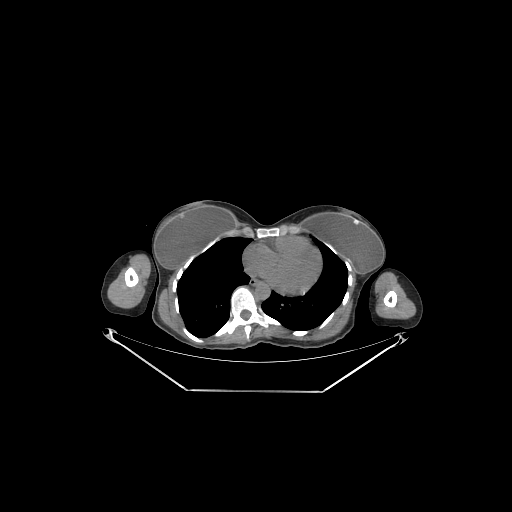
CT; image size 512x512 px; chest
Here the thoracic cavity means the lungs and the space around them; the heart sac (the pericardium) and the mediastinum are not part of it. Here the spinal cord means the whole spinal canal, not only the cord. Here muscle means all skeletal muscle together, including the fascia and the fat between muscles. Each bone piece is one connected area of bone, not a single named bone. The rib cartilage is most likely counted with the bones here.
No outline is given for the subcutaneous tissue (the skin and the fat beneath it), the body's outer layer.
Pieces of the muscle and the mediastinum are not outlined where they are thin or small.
Outlined structures:
mediastinum 1: (250, 276) (254, 280) (261, 280) (262, 282) (267, 284) (267, 285) (269, 286) (270, 288) (275, 290) (275, 291) (273, 290) (270, 293) (269, 296) (266, 299) (265, 299) (261, 302) (260, 305) (257, 303) (253, 292) (246, 285) (245, 285) (246, 285) (250, 281)
mediastinum 2: (302, 232) (304, 232) (305, 233) (309, 233) (310, 234) (313, 235) (313, 236) (312, 236) (311, 237) (311, 239) (314, 243) (314, 244) (312, 242) (312, 241) (309, 237) (308, 237) (305, 235) (300, 235) (299, 234) (296, 234) (298, 234) (299, 233) (301, 233)
torso: (199, 199) (232, 203) (265, 224) (318, 204) (342, 206) (368, 219) (382, 236) (386, 255) (376, 275) (370, 276) (360, 292) (352, 329) (341, 339) (320, 348) (259, 343) (234, 350) (197, 349) (159, 329) (151, 318) (155, 297) (155, 273) (149, 253) (152, 234) (166, 210)
breast implant 1: (200, 205) (211, 205) (218, 208) (223, 208) (231, 212) (237, 218) (235, 220) (235, 226) (231, 226) (209, 239) (201, 247) (196, 249) (179, 267) (175, 268) (174, 270) (170, 270) (163, 266) (156, 259) (156, 256) (154, 252) (155, 238) (160, 230) (176, 214) (188, 208)
breast implant 2: (333, 211) (352, 217) (356, 221) (360, 222) (371, 230) (378, 238) (382, 246) (383, 253) (382, 261) (372, 270) (364, 274) (356, 273) (354, 264) (340, 252) (334, 245) (328, 241) (322, 240) (310, 230) (300, 225) (302, 223) (301, 221) (310, 216) (319, 213)
bones 1: (242, 285) (246, 286) (252, 292) (256, 303) (262, 310) (277, 320) (281, 325) (269, 324) (267, 327) (264, 327) (258, 323) (253, 323) (249, 333) (249, 341) (246, 338) (242, 325) (237, 326) (231, 333) (226, 332) (219, 336) (214, 336) (213, 335) (229, 318) (233, 291), around a hole outlined by (243, 310) (247, 310) (248, 311) (249, 311) (250, 312) (250, 316) (247, 319) (244, 319) (241, 316) (241, 312)
bones 2: (283, 224) (300, 227) (301, 230) (298, 233) (262, 238) (255, 236) (248, 237) (241, 234) (222, 237) (191, 261) (177, 282) (176, 293) (173, 292) (173, 280) (178, 270) (193, 254) (197, 253) (224, 231) (243, 227) (250, 227) (252, 229) (257, 227) (269, 228)
bones 3: (129, 266) (131, 266) (135, 270) (135, 271) (137, 273) (137, 274) (138, 275) (138, 281) (137, 282) (137, 283) (134, 286) (132, 286) (131, 287) (129, 287) (126, 285) (126, 284) (125, 283) (125, 278) (124, 277) (124, 275) (125, 274) (125, 271) (127, 269) (127, 268)
bones 4: (392, 289) (395, 291) (395, 292) (397, 295) (397, 301) (396, 302) (396, 303) (395, 304) (395, 305) (393, 307) (389, 307) (388, 306) (387, 306) (386, 305) (385, 305) (385, 304) (383, 301) (383, 298) (384, 297) (384, 296) (385, 295) (385, 294) (389, 290) (391, 290)
bones 5: (184, 326) (186, 328) (186, 329) (190, 333) (191, 333) (193, 335) (194, 335) (199, 338) (202, 338) (202, 339) (203, 340) (203, 342) (202, 343) (198, 343) (197, 342) (196, 342) (195, 341) (193, 341) (191, 339) (190, 339) (187, 336) (187, 335) (183, 331) (183, 327)
bones 6: (345, 260) (348, 260) (348, 261) (349, 262) (349, 264) (351, 267) (351, 271) (350, 272) (350, 273) (351, 274) (351, 276) (352, 277) (352, 283) (350, 286) (348, 286) (348, 283) (347, 282) (347, 279) (348, 278) (348, 269) (347, 268) (347, 267) (344, 262) (344, 261)
bones 7: (334, 310) (335, 310) (335, 312) (334, 313) (334, 314) (333, 315) (333, 316) (332, 317) (332, 318) (322, 328) (321, 328) (320, 329) (319, 328) (318, 328) (318, 326) (320, 324) (321, 324) (322, 323) (322, 322)
bones 8: (294, 330) (308, 330) (308, 332) (306, 334) (305, 334) (304, 335) (294, 335) (292, 333) (292, 332)
bones 9: (347, 290) (349, 292) (349, 297) (348, 298) (348, 299) (347, 300) (347, 302) (346, 303) (346, 304) (345, 305) (342, 305) (341, 304) (341, 302) (342, 301) (342, 300) (343, 299) (343, 297) (344, 296) (344, 295) (345, 294) (345, 292)
bones 10: (176, 295) (176, 296) (177, 297) (177, 300) (178, 301) (178, 307) (179, 308) (179, 314) (178, 314) (176, 312) (176, 311) (175, 310) (175, 297) (176, 296)
bones 11: (324, 242) (327, 242) (328, 243) (329, 243) (331, 245) (332, 245) (332, 246) (337, 251) (337, 252) (338, 253) (338, 254) (336, 254) (327, 245) (326, 245) (324, 243)
left arm: (382, 266) (383, 268) (392, 267) (404, 273) (413, 282) (420, 293) (423, 303) (423, 313) (419, 323) (415, 327) (405, 330) (400, 327) (391, 328) (386, 326) (378, 326) (371, 320) (370, 314) (368, 310) (368, 294) (369, 293) (369, 289) (372, 281) (377, 275) (379, 269)
right arm: (138, 248) (144, 249) (148, 251) (154, 273) (154, 290) (149, 298) (149, 301) (143, 314) (136, 317) (127, 317) (126, 316) (111, 313) (105, 309) (100, 297) (100, 289) (102, 285) (102, 281) (104, 275) (108, 268) (120, 255) (129, 250) (137, 249)
muscle 1: (349, 260) (354, 266) (354, 271) (356, 274) (356, 285) (352, 293) (353, 300) (348, 320) (338, 333) (321, 340) (295, 340) (278, 337) (258, 337) (250, 341) (250, 333) (253, 324) (258, 324) (264, 328) (267, 328) (269, 325) (282, 325) (292, 330) (291, 333) (294, 336) (304, 336) (309, 332) (310, 329) (315, 327) (320, 330) (322, 329) (333, 318) (338, 306) (345, 306) (350, 297) (350, 292) (347, 289) (352, 285) (353, 277) (351, 273) (352, 267)
muscle 2: (136, 254) (145, 254) (149, 258) (151, 262) (151, 271) (147, 280) (147, 284) (145, 287) (145, 293) (141, 301) (136, 306) (132, 308) (128, 308) (127, 309) (126, 308) (121, 308) (115, 306) (111, 303) (107, 297) (107, 289) (110, 283) (116, 278) (121, 268), around a hole outlined by (129, 266) (131, 266) (135, 270) (135, 271) (137, 273) (137, 274) (138, 275) (138, 281) (137, 282) (137, 283) (134, 286) (132, 286) (131, 287) (129, 287) (126, 285) (126, 284) (125, 283) (125, 278) (124, 277) (124, 275) (125, 274) (125, 271) (127, 269) (127, 268)
muscle 3: (383, 272) (392, 272) (397, 276) (397, 280) (398, 282) (403, 288) (406, 295) (414, 303) (416, 307) (416, 312) (412, 317) (407, 319) (391, 319) (390, 318) (384, 318) (381, 317) (376, 313) (375, 311) (376, 296) (374, 291) (374, 287) (377, 278) (379, 275), around a hole outlined by (392, 289) (395, 291) (395, 292) (397, 295) (397, 301) (396, 302) (396, 303) (395, 304) (395, 305) (393, 307) (389, 307) (388, 306) (387, 306) (386, 305) (385, 305) (385, 304) (383, 301) (383, 298) (384, 297) (384, 296) (385, 295) (385, 294) (389, 290) (391, 290)
muscle 4: (178, 268) (172, 280) (171, 286) (171, 290) (175, 294) (174, 310) (178, 315) (181, 316) (183, 321) (184, 325) (182, 327) (182, 331) (190, 340) (197, 343) (194, 343) (178, 334) (166, 325) (158, 314) (157, 307) (159, 295) (168, 285) (168, 280) (171, 274) (175, 269)
muscle 5: (239, 326) (242, 326) (243, 327) (243, 330) (245, 334) (245, 338) (247, 341) (246, 343) (205, 344) (204, 345) (202, 344) (198, 344) (202, 344) (204, 342) (203, 338) (206, 338) (212, 335) (214, 337) (219, 337) (226, 333) (227, 334) (231, 334) (235, 330) (235, 329)
muscle 6: (237, 219) (241, 223) (247, 223) (248, 224) (250, 224) (251, 225) (253, 225) (254, 226) (256, 226) (256, 227) (255, 228) (252, 228) (250, 226) (243, 226) (242, 227) (241, 227) (240, 228) (236, 228) (235, 227) (231, 227) (235, 227) (236, 226) (236, 220)
muscle 7: (333, 246) (334, 246) (339, 251) (339, 252) (340, 253) (341, 253) (347, 259) (345, 259) (344, 260) (343, 260) (341, 258) (340, 258) (340, 257) (338, 255) (339, 254) (339, 253) (338, 252) (338, 251)
thoracic cavity 1: (236, 236) (251, 239) (243, 249) (241, 255) (243, 270) (249, 276) (249, 281) (246, 284) (238, 285) (232, 291) (230, 295) (230, 309) (226, 321) (213, 334) (206, 337) (199, 337) (187, 329) (180, 314) (179, 301) (176, 294) (178, 282) (184, 271) (197, 256) (222, 238)
thoracic cavity 2: (314, 236) (323, 242) (343, 261) (347, 269) (347, 288) (344, 292) (340, 304) (321, 323) (309, 329) (293, 330) (284, 326) (277, 319) (267, 314) (263, 310) (261, 304) (270, 296) (273, 291) (284, 297) (299, 296) (305, 294) (318, 281) (324, 264) (322, 254) (312, 239)
spinal cord: (243, 310) (247, 310) (248, 311) (249, 311) (250, 312) (250, 316) (247, 319) (244, 319) (241, 316) (241, 312)
pericardium: (292, 234) (305, 236) (309, 238) (311, 242) (318, 248) (321, 254) (323, 265) (317, 281) (305, 293) (299, 295) (283, 295) (270, 287) (261, 279) (254, 279) (246, 273) (242, 261) (242, 255) (246, 246) (252, 242) (258, 240) (269, 240) (280, 236) (288, 236)